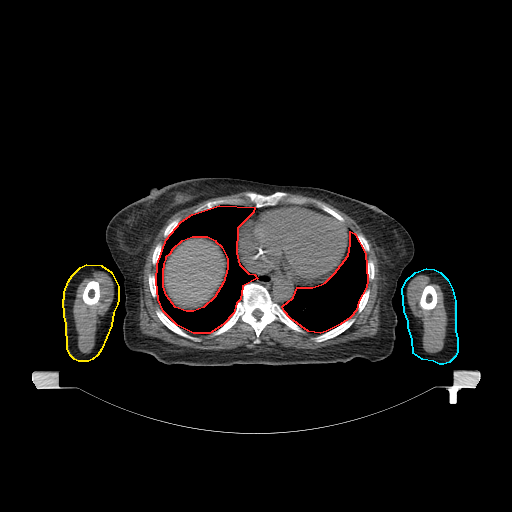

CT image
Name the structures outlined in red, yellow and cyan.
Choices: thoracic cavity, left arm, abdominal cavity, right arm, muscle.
red: thoracic cavity; yellow: right arm; cyan: left arm.
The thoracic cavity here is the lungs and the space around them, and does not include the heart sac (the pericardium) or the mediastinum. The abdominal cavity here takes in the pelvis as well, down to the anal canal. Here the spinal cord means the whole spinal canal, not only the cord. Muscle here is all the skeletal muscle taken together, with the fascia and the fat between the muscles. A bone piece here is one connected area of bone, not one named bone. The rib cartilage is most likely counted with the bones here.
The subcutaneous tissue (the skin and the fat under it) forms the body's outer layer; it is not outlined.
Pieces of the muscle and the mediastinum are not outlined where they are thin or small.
{"thoracic_cavity":[{"outer":[[219,205],[254,207],[253,212],[237,228],[236,253],[239,264],[248,273],[254,274],[257,278],[242,286],[240,299],[236,303],[233,313],[223,324],[209,333],[193,333],[177,325],[163,311],[158,299],[156,281],[157,264],[166,239],[181,221],[192,214]],"hole":[[192,236],[207,236],[215,240],[215,241],[221,246],[226,256],[227,259],[227,268],[223,282],[214,297],[203,307],[193,311],[186,311],[175,307],[166,295],[163,286],[163,268],[164,267],[164,263],[166,259],[166,256],[170,253],[173,248],[182,240]]},[[350,231],[354,233],[365,253],[367,280],[366,287],[358,301],[356,310],[350,317],[340,324],[326,331],[320,333],[308,331],[290,318],[284,311],[282,306],[293,297],[297,287],[312,287],[321,284],[325,282],[334,273],[348,255],[350,244]]],"right_arm":[[[86,264],[101,265],[111,272],[118,286],[118,299],[117,304],[113,312],[111,325],[101,349],[97,355],[92,359],[88,361],[78,361],[74,359],[70,355],[67,348],[66,323],[64,316],[63,299],[64,298],[64,292],[68,281],[72,275],[80,267]]],"left_arm":[[[426,268],[434,269],[440,272],[447,279],[452,289],[455,301],[455,331],[457,338],[457,351],[455,356],[449,362],[443,364],[439,364],[433,361],[422,359],[413,353],[412,339],[408,327],[408,321],[404,311],[402,289],[406,280],[415,272]]],"spinal_cord":[[[256,309],[258,309],[259,310],[260,310],[262,312],[262,315],[259,318],[257,318],[256,317],[255,317],[253,315],[253,311],[254,310],[255,310]]],"muscle":[[[243,191],[246,191],[244,192],[243,196],[229,196],[209,199],[195,208],[190,215],[182,220],[180,217],[176,217],[169,222],[162,234],[165,238],[163,244],[158,242],[152,251],[151,263],[156,266],[156,271],[155,273],[149,273],[147,280],[150,294],[154,299],[157,298],[160,306],[154,311],[156,316],[169,330],[175,334],[194,342],[200,342],[200,337],[187,332],[193,334],[208,334],[210,337],[214,337],[228,331],[240,320],[248,324],[253,329],[255,334],[253,343],[247,343],[244,346],[238,346],[231,349],[198,349],[178,346],[142,333],[139,327],[139,313],[140,290],[143,286],[143,268],[148,251],[160,229],[173,214],[182,209],[211,198],[231,195]],[[287,192],[316,198],[336,207],[351,217],[373,243],[380,276],[379,329],[374,336],[315,349],[279,344],[273,347],[261,343],[262,331],[275,321],[299,333],[307,331],[317,334],[311,337],[317,343],[338,336],[354,323],[354,313],[360,313],[366,306],[370,296],[367,282],[375,276],[374,262],[366,256],[370,245],[361,232],[352,231],[344,223],[345,219],[324,202],[316,200],[314,206],[308,204],[305,196],[289,195]],{"outer":[[93,271],[102,271],[106,273],[112,281],[114,292],[113,299],[107,311],[104,315],[99,317],[100,322],[96,326],[95,344],[92,350],[89,353],[83,353],[79,350],[77,346],[77,332],[75,328],[75,322],[72,310],[78,285],[85,277],[89,276]],"hole":[[91,280],[95,280],[96,281],[97,281],[99,284],[99,298],[98,299],[98,301],[95,304],[92,304],[91,305],[88,305],[86,303],[85,303],[84,302],[84,301],[82,298],[82,294],[83,293],[83,291],[84,290],[87,283],[89,281],[90,281]]},{"outer":[[421,274],[427,275],[433,282],[437,283],[440,286],[444,297],[444,306],[447,315],[446,335],[444,339],[443,348],[435,353],[428,353],[424,350],[422,346],[423,324],[422,321],[414,316],[412,313],[407,299],[407,287],[409,283],[416,276]],"hole":[[429,284],[431,284],[434,287],[434,288],[435,289],[435,291],[437,294],[437,302],[436,303],[436,305],[432,309],[424,309],[421,307],[421,306],[420,305],[419,302],[420,301],[420,298],[421,297],[421,294],[422,293],[422,291],[423,290],[424,287]]}],"torso":[[[198,177],[320,187],[375,204],[396,219],[408,231],[415,249],[398,279],[392,300],[397,315],[392,353],[374,362],[355,357],[333,363],[197,366],[166,364],[150,354],[130,350],[123,339],[124,279],[107,247],[106,226],[120,209],[147,195],[150,188]]],"pericardium":[[[294,205],[306,206],[314,210],[329,214],[340,222],[343,222],[347,227],[348,244],[345,257],[343,258],[339,265],[327,279],[314,285],[286,284],[277,281],[267,275],[248,272],[240,264],[238,251],[238,231],[240,226],[246,220],[267,208]]],"mediastinum":[[[256,275],[263,275],[264,276],[267,276],[277,282],[279,282],[286,285],[298,286],[295,288],[293,292],[293,295],[292,297],[289,300],[286,301],[281,306],[278,303],[273,301],[269,291],[265,286],[260,283],[258,283],[254,281],[255,281],[258,278]],[[279,204],[295,204],[293,205],[280,205],[279,206],[270,206],[267,207],[263,210],[259,211],[251,217],[249,217],[246,219],[241,224],[241,225],[240,225],[240,224],[247,217],[254,212],[255,208],[261,208],[262,207],[267,207],[268,206],[276,206]]],"abdominal_cavity":[[[192,236],[207,236],[215,240],[215,241],[221,246],[226,256],[227,259],[227,268],[223,282],[214,297],[203,307],[193,311],[186,311],[175,307],[166,295],[163,286],[163,268],[164,267],[164,263],[166,259],[166,256],[170,253],[173,248],[182,240]]],"bones":[{"outer":[[249,282],[255,282],[265,287],[272,301],[278,304],[286,315],[305,332],[296,331],[275,320],[267,324],[261,331],[260,343],[254,343],[256,338],[254,329],[239,319],[228,330],[210,336],[210,333],[223,325],[234,313],[237,303],[241,299],[241,290]],"hole":[[256,309],[258,309],[259,310],[260,310],[262,312],[262,315],[259,318],[257,318],[256,317],[255,317],[253,315],[253,311],[254,310],[255,310]]},[[247,191],[253,191],[264,195],[268,195],[276,191],[282,191],[286,192],[289,196],[305,197],[307,199],[307,203],[279,203],[276,205],[268,205],[261,207],[255,207],[252,205],[219,204],[193,213],[195,209],[209,200],[229,197],[243,197],[245,192]],[[351,317],[354,317],[355,318],[355,320],[353,322],[353,323],[347,329],[346,329],[338,335],[332,338],[329,338],[326,340],[324,340],[320,342],[314,341],[312,339],[312,337],[313,336],[315,336],[318,334],[326,332],[340,325],[343,322],[344,322]],[[157,308],[160,308],[165,314],[165,315],[173,323],[184,330],[187,333],[193,336],[195,336],[196,337],[200,338],[200,341],[194,341],[193,340],[191,340],[188,338],[186,338],[183,336],[181,336],[169,329],[157,316],[156,312],[155,311]],[[429,284],[431,284],[434,287],[434,288],[435,289],[435,291],[437,294],[437,302],[436,303],[436,305],[432,309],[424,309],[421,307],[421,306],[420,305],[419,302],[420,301],[420,298],[421,297],[421,294],[422,293],[422,291],[423,290],[424,287]],[[91,280],[95,280],[96,281],[97,281],[99,284],[99,298],[98,299],[98,301],[95,304],[92,304],[91,305],[88,305],[86,303],[85,303],[84,302],[84,301],[82,298],[82,294],[83,293],[83,291],[84,290],[87,283],[89,281],[90,281]],[[316,201],[319,201],[320,202],[322,202],[326,205],[327,205],[330,208],[333,209],[337,213],[338,213],[344,219],[344,221],[340,221],[338,219],[337,219],[329,213],[328,213],[327,212],[326,212],[325,211],[318,208],[316,206],[316,203],[315,202]],[[151,273],[153,273],[155,274],[155,281],[156,282],[156,286],[157,287],[157,297],[155,298],[154,298],[152,296],[151,294],[151,292],[150,291],[150,288],[149,287],[149,281],[148,280],[148,276],[149,274]],[[366,288],[368,288],[369,289],[369,296],[368,297],[368,299],[367,300],[367,302],[366,303],[365,306],[363,308],[363,309],[360,312],[357,312],[357,307],[358,306],[358,304],[359,303],[359,301],[360,300],[360,299],[361,298],[361,297]],[[176,218],[180,218],[180,221],[179,222],[179,223],[176,226],[176,227],[172,231],[172,232],[166,238],[165,237],[164,237],[163,234],[164,233],[164,231],[165,230],[166,227],[168,225],[168,224],[169,223],[170,223],[174,219],[175,219]],[[367,259],[371,259],[372,260],[372,261],[373,262],[373,265],[374,266],[374,276],[373,277],[373,279],[372,280],[368,280],[367,279]],[[357,232],[358,232],[359,233],[361,233],[367,240],[367,241],[368,242],[368,244],[369,245],[369,251],[368,252],[365,252],[365,251],[363,249],[363,248],[362,247],[362,246],[361,245],[359,240],[357,238],[357,237],[355,234],[355,233],[356,233]],[[158,243],[161,243],[162,244],[162,247],[161,248],[161,250],[160,251],[160,254],[159,255],[159,258],[158,259],[158,261],[157,262],[156,265],[154,265],[152,263],[152,256],[153,255],[153,251],[154,250],[154,249],[155,248],[156,245]]]}